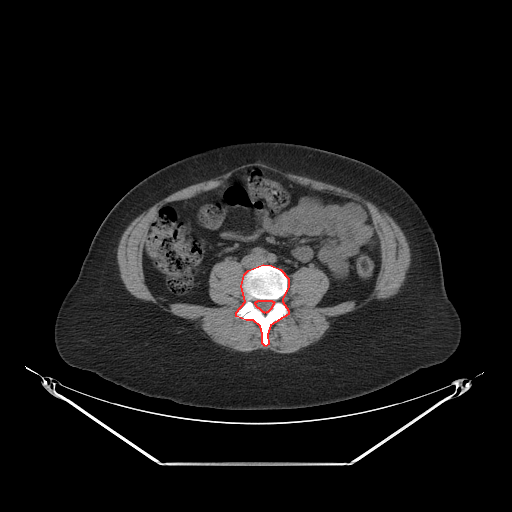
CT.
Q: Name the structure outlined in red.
A: red: bones.
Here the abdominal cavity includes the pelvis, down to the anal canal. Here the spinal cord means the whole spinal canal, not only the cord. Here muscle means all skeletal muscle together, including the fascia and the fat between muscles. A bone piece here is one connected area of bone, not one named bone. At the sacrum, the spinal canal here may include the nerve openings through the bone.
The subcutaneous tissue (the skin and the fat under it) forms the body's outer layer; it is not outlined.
The bones are outlined by 263 264; 271 265; 280 269; 288 278; 288 287; 282 298; 282 301; 288 310; 288 314; 270 325; 267 334; 268 344; 265 346; 262 343; 262 333; 260 326; 253 320; 246 320; 236 316; 236 312; 245 301; 241 286; 244 274; 248 270 with a hole at 258 300; 271 300; 272 301; 273 301; 274 302; 273 303; 273 304; 272 305; 272 306; 271 307; 271 308; 267 312; 266 312; 265 313; 264 312; 263 312; 259 308; 258 308; 256 306; 256 305; 255 304; 255 302; 256 301; 257 301. The abdominal cavity is outlined by 248 165; 367 208; 380 249; 379 270; 367 296; 317 306; 330 280; 315 265; 300 267; 289 281; 274 265; 263 263; 245 272; 229 256; 209 273; 208 295; 217 305; 174 303; 152 293; 142 257; 157 211; 168 202; 218 187. The muscle is outlined by 255 161; 260 161; 288 172; 331 183; 359 194; 380 209; 384 210; 396 222; 402 230; 410 249; 411 259; 406 277; 399 291; 394 296; 381 300; 372 300; 359 309; 338 316; 318 341; 291 353; 278 353; 269 349; 237 351; 215 343; 203 335; 187 319; 166 312; 155 304; 132 295; 126 289; 121 279; 117 263; 117 247; 120 238; 127 226; 143 211; 182 188; 216 177; 244 163 with a hole at 248 165; 361 202; 380 249; 374 286; 363 298; 317 306; 328 276; 315 265; 294 271; 282 298; 288 314; 270 325; 265 346; 260 326; 236 316; 245 271; 232 257; 211 268; 211 306; 153 294; 142 265; 147 231; 162 205; 216 188. The torso is outlined by 258 141; 301 144; 363 161; 389 175; 414 198; 434 231; 444 286; 460 317; 462 333; 455 352; 442 363; 420 368; 370 393; 292 409; 185 405; 129 390; 67 364; 54 343; 56 315; 95 232; 115 203; 142 179; 175 161; 219 146. The spinal cord is outlined by 258 300; 271 300; 272 301; 273 301; 274 302; 273 303; 273 304; 272 305; 272 306; 271 307; 271 308; 267 312; 266 312; 265 313; 264 312; 263 312; 259 308; 258 308; 256 306; 256 305; 255 304; 255 302; 256 301; 257 301.